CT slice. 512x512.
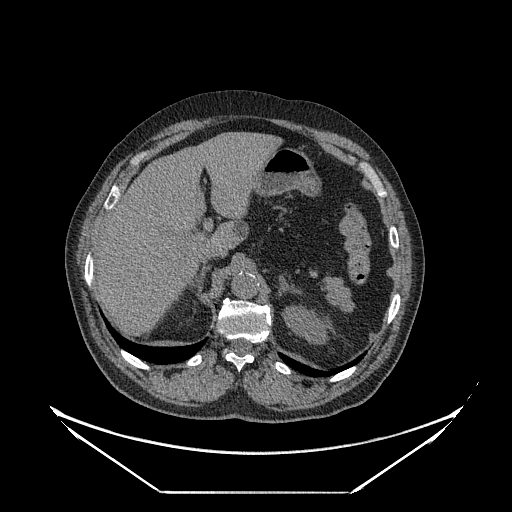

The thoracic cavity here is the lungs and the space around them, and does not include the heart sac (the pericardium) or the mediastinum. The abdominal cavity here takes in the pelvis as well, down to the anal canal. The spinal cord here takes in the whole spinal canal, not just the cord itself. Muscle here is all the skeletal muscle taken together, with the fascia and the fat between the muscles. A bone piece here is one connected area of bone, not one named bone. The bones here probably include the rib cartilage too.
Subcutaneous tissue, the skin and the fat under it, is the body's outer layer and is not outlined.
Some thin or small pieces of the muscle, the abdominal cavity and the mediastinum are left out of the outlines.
spinal cord: 239,338 243,338 249,341 251,343 252,345 252,351 251,352 246,353 244,355 242,355 241,356 240,355 238,355 236,354 234,352 231,351 229,349 229,344 230,343 230,341 232,340 234,340 235,339 238,339
thoracic cavity 1: 101,313 107,320 111,327 118,334 126,340 135,344 149,347 176,347 177,346 188,346 196,344 203,340 205,340 205,343 199,351 184,361 180,361 175,363 147,362 121,347 117,343 107,329 103,318 101,316
thoracic cavity 2: 365,352 364,356 356,364 353,364 342,370 336,372 330,376 311,376 310,375 301,373 296,370 294,370 287,364 283,362 278,354 283,354 302,364 309,366 311,368 313,368 316,370 329,371 350,362
torso: 227,89 309,100 345,115 387,154 420,226 425,256 423,289 404,349 371,397 327,417 261,423 238,418 190,419 148,408 111,385 89,353 77,323 65,275 65,238 75,207 101,163 131,129 156,111 194,94
bones 1: 225,298 245,300 259,305 267,305 271,315 271,324 269,326 270,331 266,340 256,344 253,347 255,355 254,361 246,363 240,371 237,371 236,367 223,357 222,351 226,346 226,340 216,329 218,312 222,301; inner edge: 239,338 243,338 249,341 251,343 252,345 252,351 251,352 246,353 244,355 242,355 241,356 240,355 238,355 236,354 234,352 231,351 229,349 229,344 230,343 230,341 232,340 234,340 235,339 238,339
bones 2: 360,160 367,162 373,168 373,169 377,174 378,177 380,179 385,190 387,192 387,195 385,197 380,197 379,196 379,195 373,187 372,185 372,183 370,181 370,180 360,169 360,168 358,166 356,162
bones 3: 115,183 118,185 122,185 123,186 121,190 121,194 119,198 117,200 117,201 114,204 113,207 109,210 106,210 104,209 103,207 103,204 104,203 104,201 105,199 107,197 111,189 111,187 112,185
bones 4: 121,348 126,350 128,352 134,355 139,359 146,362 149,365 150,367 150,369 149,370 144,370 143,369 141,369 140,368 135,367 133,365 132,365 130,363 126,361 123,358 123,357 120,353 120,349
bones 5: 89,251 90,251 91,252 91,253 92,254 92,256 93,257 93,277 92,278 92,280 91,281 91,288 90,289 87,286 87,285 84,280 84,266 85,265 85,260 86,259 86,257 87,256 87,254
bones 6: 395,292 398,292 400,295 400,305 399,306 399,308 398,309 398,311 397,312 395,317 391,321 391,322 390,323 387,323 387,311 388,310 388,307 390,304 390,301 391,300 391,298 392,297 393,294
bones 7: 353,365 356,365 356,366 357,367 356,368 356,369 348,377 347,377 346,378 344,378 343,379 341,379 338,381 335,381 334,382 330,382 328,380 328,379 331,376 332,376 336,373 337,373 340,371 342,371
bones 8: 391,224 392,224 395,226 395,227 397,230 397,233 398,234 398,239 399,240 399,246 397,249 395,249 393,247 392,247 390,245 390,244 389,243 389,240 388,239 388,227 389,226 389,225 390,225
bones 9: 278,360 279,361 281,361 283,363 284,363 286,365 287,365 291,369 292,369 292,372 290,374 284,374 283,373 282,373 281,372 280,372 279,371 278,371 275,368 274,368 272,366 272,364 275,361 277,361
bones 10: 151,149 152,150 149,153 148,153 147,154 147,155 146,155 139,162 139,163 137,165 136,165 135,166 132,166 130,164 130,163 129,162 130,159 136,154 139,153 141,151 142,151 143,150 150,150
bones 11: 198,352 199,352 199,353 201,355 201,356 202,357 201,362 199,364 198,364 197,365 194,365 193,366 186,366 185,365 185,361 186,360 187,360 189,358 190,358 192,356 193,356 195,354 196,354
muscle: 218,115 258,115 276,119 284,119 316,129 327,130 344,136 361,146 376,162 392,186 401,203 407,229 410,236 411,255 412,256 412,283 409,294 409,299 401,327 399,329 389,356 377,369 371,373 363,381 350,390 323,404 304,409 278,411 269,409 263,405 256,403 242,392 234,390 227,392 215,401 202,406 183,406 166,402 151,395 123,373 104,355 91,335 88,320 81,297 80,285 77,274 77,262 76,261 76,251 79,242 79,236 81,232 82,224 86,215 86,212 90,204 96,196 106,177 116,164 148,138 162,129 182,120 206,116 217,116 with holes at 240,119 295,131 353,169 375,194 384,225 397,230 399,246 388,247 387,273 391,295 400,295 398,311 390,323 385,313 346,378 330,382 329,376 278,371 272,364 281,359 271,333 253,347 254,361 237,371 223,357 226,340 215,327 199,350 199,364 135,367 121,355 84,280 87,254 94,256 110,211 103,204 112,185 124,188 144,162 193,132 and at 360,160 367,162 373,168 373,169 377,174 378,177 380,179 385,190 387,192 387,195 385,197 380,197 379,196 379,195 373,187 372,185 372,183 370,181 370,180 360,169 360,168 358,166 356,162 and at 151,149 152,150 149,153 148,153 147,154 147,155 146,155 139,162 139,163 137,165 136,165 135,166 132,166 130,164 130,163 129,162 130,159 136,154 139,153 141,151 142,151 143,150 150,150
mediastinum: 239,271 247,271 248,272 252,272 254,274 260,282 262,290 265,294 267,304 259,304 253,301 246,300 245,299 237,299 236,298 230,298 229,297 223,298 222,297 224,294 224,291 226,289 227,282 232,275
abdominal cavity: 240,119 263,120 299,133 357,172 379,202 392,260 387,269 391,297 367,351 333,369 316,369 278,353 270,334 266,294 252,271 239,270 226,282 207,343 135,343 112,327 94,301 98,232 140,166 197,130